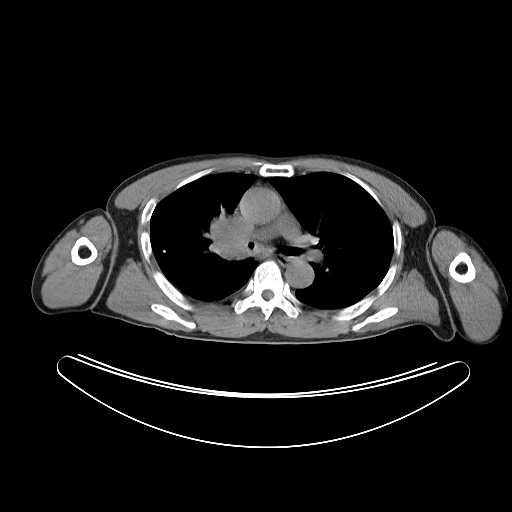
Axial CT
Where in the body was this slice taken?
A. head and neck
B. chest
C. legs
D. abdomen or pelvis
B. chest
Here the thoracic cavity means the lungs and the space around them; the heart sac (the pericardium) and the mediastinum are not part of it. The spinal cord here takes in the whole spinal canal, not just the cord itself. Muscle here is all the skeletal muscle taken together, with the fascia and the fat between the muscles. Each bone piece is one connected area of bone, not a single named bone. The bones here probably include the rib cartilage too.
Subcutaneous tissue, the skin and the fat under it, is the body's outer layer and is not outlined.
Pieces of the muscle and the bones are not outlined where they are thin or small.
The mediastinum is outlined by (250, 172) (257, 173) (262, 177) (269, 177) (270, 183) (306, 230) (310, 246) (309, 264) (314, 272) (313, 282) (308, 287) (298, 288) (293, 292) (284, 280) (280, 267) (273, 259) (266, 259) (258, 264) (239, 240) (233, 224) (233, 214) (244, 192) (257, 178) (256, 175) (254, 173). The right arm is outlined by (96, 207) (100, 207) (104, 209) (112, 225) (117, 239) (113, 251) (109, 270) (95, 306) (92, 311) (86, 310) (83, 312) (62, 313) (58, 315) (49, 315) (43, 313) (36, 307) (32, 300) (31, 296) (32, 277) (40, 257) (50, 242) (67, 224) (83, 212). The thoracic cavity appears in 2 outlined pieces: piece 1: (319, 171) (339, 174) (363, 188) (382, 208) (392, 230) (393, 253) (382, 279) (374, 289) (358, 301) (336, 309) (308, 305) (296, 297) (294, 293) (296, 290) (308, 288) (315, 279) (315, 272) (310, 264) (312, 260) (310, 257) (310, 236) (270, 181) (270, 177) (292, 177); piece 2: (223, 172) (246, 172) (252, 173) (256, 177) (255, 180) (243, 192) (237, 203) (232, 214) (232, 224) (238, 240) (257, 263) (257, 265) (240, 293) (235, 293) (218, 300) (205, 301) (185, 295) (171, 283) (160, 270) (151, 245) (149, 224) (158, 202) (173, 191) (206, 175). The spinal cord is outlined by (264, 290) (270, 290) (273, 293) (273, 296) (271, 298) (270, 298) (269, 299) (265, 299) (262, 296) (262, 293) (263, 292) (263, 291). The torso is outlined by (225, 151) (266, 156) (335, 153) (377, 164) (407, 181) (435, 215) (436, 224) (427, 243) (428, 260) (446, 305) (452, 340) (440, 341) (426, 328) (413, 326) (339, 343) (222, 343) (182, 339) (156, 328) (92, 313) (118, 239) (104, 208) (112, 191) (129, 176) (155, 163). The left arm is outlined by (437, 224) (438, 225) (439, 224) (450, 224) (456, 226) (468, 233) (483, 248) (501, 276) (506, 289) (508, 297) (508, 304) (501, 331) (498, 337) (488, 344) (474, 345) (462, 339) (458, 334) (456, 334) (454, 336) (449, 312) (441, 286) (429, 260) (428, 243) (434, 227). The muscle appears in 3 outlined pieces: piece 1: (227, 157) (266, 161) (251, 162) (257, 167) (256, 172) (213, 172) (216, 169) (213, 166) (201, 169) (182, 179) (159, 201) (152, 196) (141, 211) (140, 224) (148, 226) (140, 233) (144, 259) (149, 263) (153, 254) (159, 269) (152, 271) (152, 277) (173, 303) (192, 311) (194, 306) (186, 296) (213, 302) (239, 294) (231, 303) (233, 311) (239, 315) (249, 308) (257, 307) (265, 321) (276, 308) (289, 318) (296, 319) (303, 311) (304, 304) (334, 310) (331, 318) (336, 321) (349, 321) (365, 312) (387, 290) (395, 277) (397, 264) (391, 264) (391, 261) (394, 253) (396, 256) (400, 254) (402, 230) (396, 219) (391, 223) (372, 188) (350, 172) (319, 170) (295, 174) (291, 163) (279, 163) (300, 158) (325, 158) (359, 166) (390, 179) (425, 211) (427, 218) (423, 224) (416, 227) (402, 225) (402, 268) (407, 271) (415, 268) (428, 283) (440, 304) (441, 323) (434, 325) (422, 320) (410, 320) (333, 338) (292, 337) (266, 329) (241, 337) (223, 337) (169, 329) (111, 310) (105, 301) (120, 267) (127, 258) (140, 259) (137, 245) (139, 210) (116, 207) (116, 196) (134, 181) (159, 169); inner edges: (152, 303) (159, 303) (160, 304) (165, 305) (171, 308) (182, 319) (186, 320) (187, 321) (194, 321) (196, 322) (197, 324) (196, 327) (192, 329) (190, 329) (177, 321) (166, 319) (164, 317) (156, 313) (151, 309) (151, 307) (150, 306), then (389, 306) (395, 306) (397, 307) (398, 309) (397, 312) (393, 315) (383, 320) (381, 320) (378, 322) (370, 322) (362, 326) (356, 331) (353, 331) (352, 330) (351, 328) (353, 325) (355, 324) (357, 324) (363, 321) (368, 316) (375, 313) (377, 311) (385, 307) (388, 307); piece 2: (443, 229) (449, 230) (459, 237) (463, 238) (470, 246) (472, 246) (479, 253) (483, 260) (492, 270) (500, 288) (502, 306) (498, 326) (495, 332) (489, 338) (485, 340) (481, 341) (473, 340) (463, 330) (450, 300) (444, 280) (439, 273) (434, 262) (431, 243) (436, 233), around a hole outlined by (460, 251) (464, 251) (466, 252) (469, 255) (471, 259) (471, 261) (475, 268) (475, 277) (471, 281) (469, 282) (467, 282) (466, 283) (459, 282) (455, 280) (450, 275) (449, 273) (449, 270) (448, 269) (449, 268) (449, 264) (450, 262) (456, 255) (456, 254) (457, 254); piece 3: (96, 215) (102, 215) (109, 222) (112, 229) (112, 235) (114, 241) (109, 250) (105, 270) (94, 288) (92, 295) (88, 300) (80, 305) (59, 308) (51, 308) (46, 306) (41, 297) (42, 284) (41, 274) (47, 256) (54, 246) (68, 231) (73, 228) (77, 228) (86, 220), around a hole outlined by (81, 236) (85, 236) (86, 237) (87, 237) (94, 244) (94, 245) (97, 250) (97, 255) (96, 256) (95, 259) (90, 263) (88, 263) (85, 265) (77, 265) (76, 264) (75, 264) (71, 260) (71, 249) (72, 248) (72, 247) (73, 246) (75, 241) (79, 237) (80, 237). The bones appear in 13 outlined pieces: piece 1: (266, 260) (273, 260) (277, 264) (283, 280) (288, 284) (295, 297) (303, 304) (302, 311) (296, 318) (289, 317) (278, 307) (273, 309) (267, 320) (265, 320) (263, 312) (257, 306) (249, 307) (239, 314) (234, 311) (232, 303) (240, 296) (241, 291) (253, 275) (256, 267) with a hole at (264, 290) (270, 290) (273, 293) (273, 296) (271, 298) (270, 298) (269, 299) (265, 299) (262, 296) (262, 293) (263, 292) (263, 291); piece 2: (392, 264) (396, 264) (396, 270) (395, 271) (394, 277) (391, 283) (386, 290) (381, 295) (378, 296) (365, 311) (349, 320) (336, 320) (332, 318) (332, 315) (334, 313) (335, 310) (350, 306) (358, 302) (367, 295) (376, 295) (377, 294) (376, 287) (383, 279) (390, 265); piece 3: (460, 251) (464, 251) (466, 252) (469, 255) (471, 259) (471, 261) (475, 268) (475, 277) (471, 281) (469, 282) (467, 282) (466, 283) (459, 282) (455, 280) (450, 275) (449, 273) (449, 270) (448, 269) (449, 268) (449, 264) (450, 262) (456, 255) (456, 254) (457, 254); piece 4: (81, 236) (85, 236) (86, 237) (87, 237) (94, 244) (94, 245) (97, 250) (97, 255) (96, 256) (95, 259) (90, 263) (88, 263) (85, 265) (77, 265) (76, 264) (75, 264) (71, 260) (71, 249) (72, 248) (72, 247) (73, 246) (75, 241) (79, 237) (80, 237); piece 5: (154, 270) (159, 270) (163, 274) (163, 275) (167, 279) (167, 280) (186, 297) (188, 301) (193, 306) (193, 309) (192, 310) (188, 310) (187, 309) (185, 309) (177, 305) (174, 302) (173, 302) (163, 292) (163, 291) (159, 287) (159, 286) (157, 284) (153, 277) (152, 273); piece 6: (253, 161) (260, 161) (262, 163) (266, 163) (268, 162) (269, 163) (272, 163) (273, 164) (291, 164) (294, 168) (295, 173) (294, 175) (292, 176) (262, 176) (260, 175) (257, 172) (258, 170) (258, 167) (257, 166) (254, 166) (252, 164) (252, 162); piece 7: (152, 303) (159, 303) (160, 304) (165, 305) (171, 308) (182, 319) (186, 320) (187, 321) (194, 321) (196, 322) (197, 324) (196, 327) (192, 329) (190, 329) (177, 321) (166, 319) (164, 317) (156, 313) (151, 309) (151, 307) (150, 306); piece 8: (389, 306) (395, 306) (397, 307) (398, 309) (397, 312) (393, 315) (383, 320) (381, 320) (378, 322) (370, 322) (362, 326) (356, 331) (353, 331) (352, 330) (351, 328) (353, 325) (355, 324) (357, 324) (363, 321) (368, 316) (375, 313) (377, 311) (385, 307) (388, 307); piece 9: (152, 197) (155, 197) (157, 199) (157, 203) (156, 204) (156, 205) (151, 214) (151, 216) (150, 217) (150, 219) (149, 220) (149, 223) (148, 224) (148, 225) (146, 223) (145, 224) (142, 225) (141, 224) (141, 215) (142, 214) (142, 211) (143, 210) (146, 203); piece 10: (143, 230) (148, 230) (149, 231) (149, 240) (150, 241) (150, 245) (151, 246) (151, 249) (152, 250) (152, 254) (150, 256) (150, 261) (149, 262) (148, 262) (145, 259) (145, 257) (144, 256) (144, 254) (143, 253) (143, 251) (142, 250) (142, 248) (141, 247) (141, 233); piece 11: (338, 171) (344, 171) (345, 172) (348, 172) (352, 175) (357, 177) (366, 184) (367, 184) (371, 188) (371, 189) (374, 192) (374, 193) (381, 202) (382, 204) (382, 207) (363, 187) (362, 187) (358, 183) (352, 180) (350, 178) (338, 173); piece 12: (394, 220) (396, 220) (398, 222) (398, 223) (399, 224) (399, 226) (400, 227) (400, 229) (401, 230) (401, 246) (400, 247) (400, 250) (399, 251) (399, 254) (398, 255) (396, 255) (394, 252) (394, 239) (393, 238) (393, 230) (392, 229) (392, 223); piece 13: (210, 167) (213, 167) (215, 169) (211, 173) (209, 173) (203, 176) (201, 176) (199, 178) (195, 179) (190, 182) (188, 182) (182, 186) (179, 187) (177, 189) (173, 190) (176, 185) (177, 185) (185, 178) (190, 176) (196, 172) (198, 172) (201, 170) (203, 170).